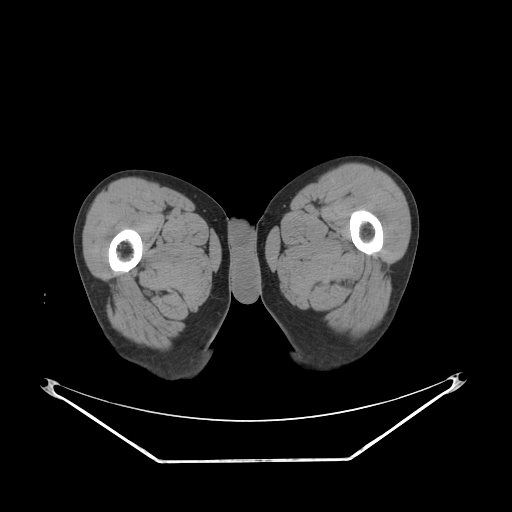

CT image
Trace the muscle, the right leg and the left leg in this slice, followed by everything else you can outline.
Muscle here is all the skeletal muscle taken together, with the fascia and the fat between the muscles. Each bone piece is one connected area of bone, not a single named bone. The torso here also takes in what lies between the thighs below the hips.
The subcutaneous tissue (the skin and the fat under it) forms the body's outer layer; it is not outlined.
{"muscle":[{"outer":[[353,161],[378,167],[386,172],[400,187],[409,207],[411,233],[404,255],[392,268],[392,290],[388,308],[382,320],[360,341],[346,343],[332,335],[312,314],[293,306],[280,294],[265,261],[264,244],[266,236],[281,208],[300,188],[329,169],[344,162]],"hole":[[359,209],[365,209],[373,213],[379,219],[382,226],[382,229],[383,230],[383,244],[381,249],[379,251],[370,255],[366,254],[362,251],[359,250],[354,245],[350,236],[350,232],[349,231],[349,219],[350,218],[350,215],[353,211],[355,210],[358,210]]},{"outer":[[127,176],[142,177],[173,187],[192,196],[208,211],[221,244],[222,259],[210,295],[189,328],[173,349],[167,353],[138,347],[112,328],[105,311],[106,294],[104,288],[101,283],[90,273],[83,257],[82,230],[86,214],[91,203],[95,196],[111,181]],"hole":[[124,228],[131,228],[132,229],[134,229],[140,235],[141,239],[142,240],[142,245],[143,246],[142,255],[139,262],[133,268],[132,268],[127,272],[115,272],[111,269],[108,262],[108,247],[109,246],[109,244],[110,243],[111,239],[119,231]]}],"right_leg":[[[124,169],[149,169],[179,177],[210,195],[227,214],[226,234],[229,247],[228,271],[231,301],[227,314],[213,340],[214,352],[209,362],[199,375],[190,380],[160,379],[119,356],[104,336],[95,318],[78,273],[72,242],[78,210],[87,194],[102,179]]],"left_leg":[[[351,154],[364,155],[381,161],[399,174],[409,186],[415,198],[419,214],[417,250],[408,283],[394,318],[375,346],[359,360],[340,369],[326,372],[308,371],[296,365],[289,358],[287,351],[290,344],[260,298],[256,224],[267,203],[290,180],[321,162]]],"torso":[[[228,215],[230,216],[231,215],[239,215],[245,217],[252,223],[256,222],[255,224],[255,247],[256,248],[256,268],[259,279],[259,298],[254,302],[248,304],[242,303],[233,296],[232,297],[232,285],[230,280],[230,272],[229,271],[230,247],[227,234]]],"bones":[[[359,209],[365,209],[373,213],[379,219],[382,226],[382,229],[383,230],[383,244],[381,249],[379,251],[370,255],[366,254],[362,251],[359,250],[354,245],[350,236],[350,232],[349,231],[349,219],[350,218],[350,215],[353,211],[355,210],[358,210]],[[124,228],[131,228],[132,229],[134,229],[140,235],[141,239],[142,240],[142,245],[143,246],[142,255],[139,262],[133,268],[132,268],[127,272],[115,272],[111,269],[108,262],[108,247],[109,246],[109,244],[110,243],[111,239],[119,231]]]}